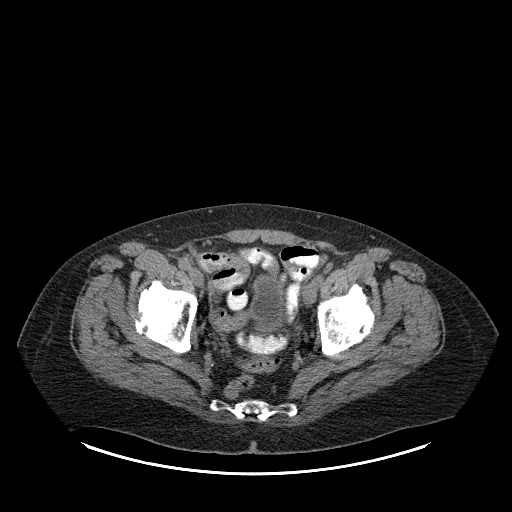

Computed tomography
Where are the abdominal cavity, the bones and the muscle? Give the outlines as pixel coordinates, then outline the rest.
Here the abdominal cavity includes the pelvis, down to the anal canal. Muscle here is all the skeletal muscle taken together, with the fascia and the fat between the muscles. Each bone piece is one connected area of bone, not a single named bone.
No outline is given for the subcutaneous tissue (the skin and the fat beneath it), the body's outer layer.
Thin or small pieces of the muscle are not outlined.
The abdominal cavity is outlined by 205 239; 233 243; 260 239; 267 244; 314 244; 343 260; 320 286; 316 305; 317 329; 311 356; 298 370; 283 401; 279 403; 258 398; 234 403; 218 397; 211 378; 200 362; 195 319; 198 297; 193 282; 179 268; 178 259; 189 246. The bones appear in 3 outlined pieces: piece 1: 155 279; 160 280; 167 288; 193 291; 196 294; 197 297; 197 310; 190 331; 191 348; 184 353; 176 353; 168 347; 147 338; 143 334; 139 334; 136 331; 136 329; 133 325; 133 315; 137 308; 140 293; 144 288; 146 288; piece 2: 354 283; 357 283; 361 286; 362 290; 367 297; 367 303; 374 314; 374 321; 371 332; 360 342; 332 356; 327 356; 323 354; 321 351; 321 338; 317 319; 317 305; 320 301; 325 300; 331 296; 339 296; 345 294; piece 3: 215 398; 230 405; 250 399; 265 401; 273 407; 280 403; 292 402; 296 405; 297 413; 293 416; 289 416; 285 413; 275 413; 265 421; 261 421; 255 414; 252 413; 247 414; 242 419; 238 419; 229 410; 212 410; 209 405; 211 400. The muscle is outlined by 245 228; 289 231; 327 241; 341 250; 382 246; 410 258; 424 270; 427 286; 441 308; 444 342; 440 352; 393 383; 297 426; 274 427; 253 421; 217 423; 95 377; 69 342; 73 309; 92 260; 126 241; 135 240; 161 249; 196 237 with a hole at 205 239; 314 244; 343 260; 324 278; 320 301; 354 283; 366 295; 374 321; 360 342; 327 356; 317 328; 283 396; 295 415; 261 421; 212 410; 222 399; 200 362; 195 319; 184 353; 136 331; 138 299; 153 280; 195 291; 178 259. The torso is outlined by 239 202; 293 206; 359 221; 404 242; 459 277; 482 303; 494 322; 498 335; 481 375; 455 415; 353 445; 272 455; 201 453; 162 446; 133 435; 98 427; 69 430; 32 379; 16 343; 24 321; 45 283; 76 252; 123 228; 184 210.